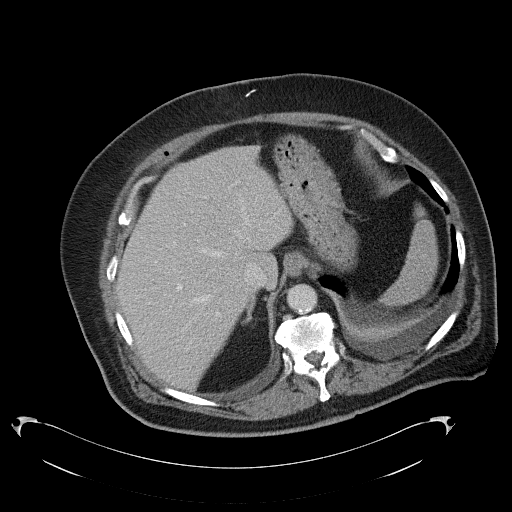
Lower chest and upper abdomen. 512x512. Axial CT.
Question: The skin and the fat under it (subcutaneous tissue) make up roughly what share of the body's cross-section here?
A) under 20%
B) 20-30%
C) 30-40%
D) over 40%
Answer: B) 20-30%
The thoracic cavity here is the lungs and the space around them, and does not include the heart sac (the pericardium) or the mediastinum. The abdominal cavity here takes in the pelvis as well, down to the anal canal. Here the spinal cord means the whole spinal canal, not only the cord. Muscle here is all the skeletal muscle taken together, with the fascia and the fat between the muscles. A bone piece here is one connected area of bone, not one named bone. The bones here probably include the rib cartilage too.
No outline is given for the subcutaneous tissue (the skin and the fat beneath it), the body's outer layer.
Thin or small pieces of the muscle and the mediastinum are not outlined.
The muscle appears in 2 outlined pieces: piece 1: [[284,111],[332,113],[367,121],[400,143],[438,175],[456,199],[477,256],[481,286],[479,332],[465,347],[433,360],[392,384],[369,393],[336,395],[330,399],[326,375],[341,358],[350,359],[347,348],[371,360],[392,360],[424,344],[423,349],[427,351],[449,332],[459,314],[458,310],[450,313],[450,310],[452,292],[466,260],[464,236],[455,228],[446,205],[449,197],[441,185],[414,167],[398,163],[397,151],[362,126],[355,128],[347,123],[336,127],[318,127],[268,121],[236,124],[206,136],[173,158],[155,176],[143,175],[132,185],[123,209],[117,216],[120,226],[131,224],[123,240],[119,260],[113,254],[105,268],[107,280],[113,282],[118,262],[115,298],[119,311],[114,312],[115,323],[145,372],[163,386],[162,392],[177,400],[212,407],[220,405],[214,400],[244,400],[265,390],[280,372],[279,382],[292,373],[314,379],[319,388],[319,401],[296,413],[265,420],[231,419],[145,402],[132,391],[121,366],[103,314],[98,286],[99,248],[105,220],[114,200],[128,174],[147,154],[163,143],[204,125]]; piece 2: [[150,182],[150,183],[144,191],[143,194],[141,196],[141,198],[139,201],[139,203],[138,204],[138,206],[137,207],[137,209],[136,210],[136,211],[136,208],[138,205],[138,200],[139,199],[140,192],[141,191],[142,188],[146,184],[147,184]]. The bones appear in 9 outlined pieces: piece 1: [[322,311],[332,316],[336,325],[335,338],[343,342],[349,356],[349,359],[341,357],[326,373],[325,387],[330,395],[326,401],[319,399],[318,382],[306,374],[298,375],[292,372],[284,379],[278,380],[283,368],[284,349],[274,338],[276,329],[283,321]]; inner edge: [[313,351],[315,351],[318,353],[322,353],[323,354],[323,355],[322,356],[322,358],[321,359],[321,360],[319,362],[318,365],[315,365],[314,364],[311,363],[309,361],[308,361],[305,358],[305,357],[308,354],[309,354],[311,352],[312,352]]; piece 2: [[347,124],[353,125],[355,129],[358,129],[362,127],[364,128],[372,133],[383,143],[392,147],[397,153],[398,156],[397,162],[396,163],[390,163],[384,161],[372,146],[365,139],[358,136],[354,132],[353,129],[351,130],[342,130],[336,128],[337,126]]; piece 3: [[148,175],[153,175],[154,177],[153,179],[146,183],[141,188],[139,192],[139,195],[137,200],[137,205],[133,214],[133,218],[128,225],[120,225],[118,223],[118,216],[124,209],[126,201],[133,185],[137,180],[143,176],[147,176]]; piece 4: [[164,387],[168,387],[174,390],[177,390],[178,391],[181,391],[182,392],[185,392],[189,394],[195,395],[202,400],[213,400],[217,403],[219,403],[219,405],[218,406],[200,405],[199,404],[186,402],[185,401],[177,399],[162,391],[162,389]]; piece 5: [[453,311],[458,311],[458,314],[455,319],[455,321],[453,323],[452,326],[450,328],[448,332],[439,341],[438,341],[429,349],[425,350],[424,349],[424,346],[425,344],[428,341],[428,340],[431,337],[431,336],[443,323],[443,322],[447,318],[447,317]]; piece 6: [[455,229],[458,229],[461,232],[463,236],[463,238],[464,239],[464,243],[465,244],[465,260],[464,261],[464,264],[463,265],[463,267],[462,269],[460,269],[459,268],[459,260],[458,259],[458,252],[457,251],[457,243],[456,242],[456,236],[455,235]]; piece 7: [[116,311],[118,311],[121,314],[121,315],[129,330],[129,332],[130,333],[130,334],[131,335],[131,337],[132,338],[132,347],[131,346],[130,346],[126,342],[125,339],[121,334],[121,333],[118,328],[118,326],[116,323],[116,319],[115,318],[115,312]]; piece 8: [[115,254],[117,256],[117,258],[118,259],[117,260],[118,261],[117,262],[117,267],[116,268],[116,272],[115,273],[115,277],[114,278],[114,280],[113,281],[109,281],[107,278],[107,275],[106,274],[106,268],[107,267],[107,265],[108,264],[111,257]]; piece 9: [[429,178],[431,178],[432,179],[433,179],[437,183],[438,183],[440,185],[440,186],[444,190],[445,193],[448,197],[448,201],[447,202],[445,202],[437,193],[437,192],[435,190],[435,189],[433,187],[433,186],[430,183],[430,182],[428,179]]. The spinal cord is outlined by [[313,351],[315,351],[318,353],[322,353],[323,354],[323,355],[322,356],[322,358],[321,359],[321,360],[319,362],[318,365],[315,365],[314,364],[311,363],[309,361],[308,361],[305,358],[305,357],[308,354],[309,354],[311,352],[312,352]]. The mediastinum appears in 2 outlined pieces: piece 1: [[298,278],[306,280],[313,280],[318,278],[321,285],[329,290],[329,293],[331,294],[331,297],[333,298],[335,304],[335,319],[327,311],[316,311],[309,314],[299,315],[285,319],[278,325],[274,331],[273,313],[279,298],[286,285],[290,281]]; piece 2: [[360,138],[362,138],[365,140],[384,162],[390,164],[396,164],[397,163],[403,165],[408,174],[409,178],[411,180],[408,180],[404,177],[392,177],[387,174],[376,163],[376,161],[373,158],[372,152],[370,148],[365,142]]. The torso is outlined by [[292,72],[345,76],[384,87],[425,111],[454,143],[475,182],[493,242],[498,336],[490,360],[485,372],[474,379],[419,389],[351,419],[299,432],[211,437],[149,427],[127,413],[108,392],[64,284],[59,240],[72,189],[104,146],[165,101],[198,88]]. The abdominal cavity is outlined by [[260,122],[353,132],[387,175],[414,182],[441,206],[449,226],[449,269],[426,309],[402,320],[362,314],[335,277],[290,280],[272,313],[273,372],[244,392],[224,399],[202,399],[162,385],[144,369],[116,298],[120,255],[142,196],[173,159],[220,130]]. The thoracic cavity appears in 2 outlined pieces: piece 1: [[405,165],[427,178],[449,211],[458,276],[451,292],[449,314],[425,343],[399,357],[371,359],[347,347],[335,334],[336,304],[330,290],[319,280],[338,280],[353,307],[367,318],[378,320],[413,319],[438,297],[452,259],[450,226],[442,206],[410,178]]; piece 2: [[276,343],[279,345],[279,351],[281,352],[281,364],[279,368],[280,371],[270,384],[265,389],[253,396],[244,399],[226,400],[225,399],[226,398],[233,397],[246,392],[252,387],[264,380],[270,374],[274,372],[274,370],[276,367],[276,362],[277,361]].